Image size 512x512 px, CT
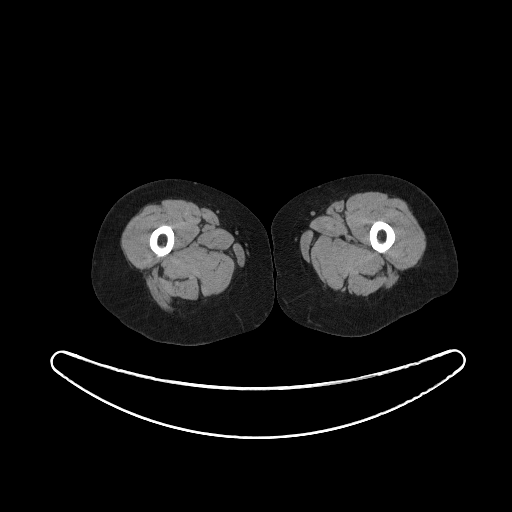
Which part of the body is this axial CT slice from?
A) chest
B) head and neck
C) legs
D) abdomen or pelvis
C) legs
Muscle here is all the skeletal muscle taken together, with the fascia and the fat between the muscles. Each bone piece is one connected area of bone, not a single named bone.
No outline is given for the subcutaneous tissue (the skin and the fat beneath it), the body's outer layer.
{"muscle":[{"outer":[[367,190],[392,191],[403,196],[410,203],[414,216],[425,234],[426,248],[419,263],[403,277],[397,286],[387,296],[369,304],[356,304],[340,299],[326,291],[315,282],[309,276],[302,264],[298,254],[297,246],[302,232],[328,202],[343,195]],"hole":[[377,220],[382,220],[388,223],[393,228],[394,230],[394,232],[395,233],[395,240],[394,242],[392,244],[392,245],[385,252],[383,253],[380,253],[376,250],[375,250],[371,246],[371,244],[369,240],[369,230],[373,222]]},{"outer":[[169,197],[192,197],[213,205],[222,214],[233,232],[243,243],[247,255],[245,265],[230,289],[210,304],[188,314],[169,314],[151,300],[146,293],[146,284],[142,274],[125,262],[124,254],[120,246],[120,238],[125,226],[136,214],[141,205],[145,202]],"hole":[[163,224],[166,224],[167,225],[171,226],[174,232],[174,243],[173,244],[173,247],[172,249],[167,254],[166,254],[164,256],[159,257],[157,256],[150,248],[150,246],[149,245],[149,237],[150,236],[151,232],[154,229],[155,229],[160,225],[162,225]]}],"bones":[[[377,220],[382,220],[388,223],[393,228],[394,230],[394,232],[395,233],[395,240],[394,242],[392,244],[392,245],[385,252],[383,253],[380,253],[376,250],[375,250],[371,246],[371,244],[369,240],[369,230],[373,222]],[[163,224],[166,224],[167,225],[171,226],[174,232],[174,243],[173,244],[173,247],[172,249],[167,254],[166,254],[164,256],[159,257],[157,256],[150,248],[150,246],[149,245],[149,237],[150,236],[151,232],[154,229],[155,229],[160,225],[162,225]]],"left_leg":[[[362,173],[382,173],[403,178],[417,185],[434,201],[443,214],[452,236],[458,259],[458,277],[450,291],[433,299],[420,309],[374,333],[364,336],[346,337],[301,325],[291,319],[281,309],[278,300],[275,298],[271,223],[279,209],[301,192],[330,180]]],"right_leg":[[[164,178],[192,180],[214,187],[240,201],[255,214],[264,226],[269,246],[272,249],[274,300],[271,311],[258,327],[201,345],[185,346],[162,343],[150,340],[124,325],[97,299],[91,283],[91,260],[96,237],[105,215],[111,206],[128,191],[144,183]]]}